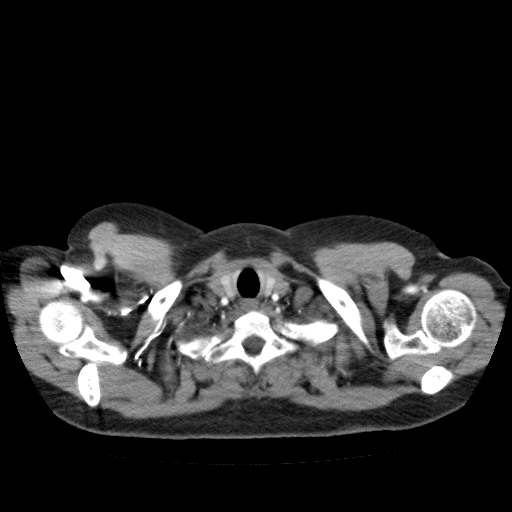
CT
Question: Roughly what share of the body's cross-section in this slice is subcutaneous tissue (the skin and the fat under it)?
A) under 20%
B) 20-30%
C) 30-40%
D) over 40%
Answer: B) 20-30%
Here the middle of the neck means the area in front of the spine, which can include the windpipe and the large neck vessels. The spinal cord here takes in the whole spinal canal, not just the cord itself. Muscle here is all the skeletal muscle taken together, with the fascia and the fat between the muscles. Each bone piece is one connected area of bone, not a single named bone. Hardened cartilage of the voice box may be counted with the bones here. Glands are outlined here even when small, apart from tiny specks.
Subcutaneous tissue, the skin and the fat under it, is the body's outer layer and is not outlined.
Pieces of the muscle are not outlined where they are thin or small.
{"right_arm":[[[66,240],[84,273],[87,281],[85,329],[72,342],[69,343],[41,349],[18,348],[10,327],[8,316],[6,312],[6,306],[4,302],[4,293],[2,287],[2,273],[0,271],[0,249],[27,243],[51,245],[56,246],[61,249],[65,249],[67,247]]],"bones":[{"outer":[[250,310],[261,311],[272,320],[279,318],[298,324],[324,318],[336,322],[338,331],[314,346],[298,341],[299,348],[296,351],[272,358],[255,374],[246,363],[237,358],[212,363],[203,357],[193,359],[176,348],[181,340],[187,341],[196,336],[221,331]],"hole":[[252,335],[255,335],[256,336],[259,337],[264,341],[264,343],[263,344],[262,347],[260,349],[260,350],[257,353],[256,353],[255,354],[250,354],[248,352],[247,352],[246,349],[244,347],[244,346],[243,345],[243,342],[248,337],[249,337]]},[[59,299],[70,302],[81,312],[83,321],[91,327],[98,339],[117,345],[127,352],[125,361],[119,365],[101,363],[97,366],[100,400],[95,407],[84,401],[77,388],[77,377],[86,360],[60,353],[58,346],[47,340],[38,330],[38,316],[41,308]],[[443,289],[461,291],[468,296],[473,303],[477,314],[477,320],[471,335],[457,346],[444,348],[436,353],[424,355],[409,353],[390,359],[386,353],[383,341],[384,321],[389,319],[393,321],[404,334],[412,334],[421,327],[421,311],[425,302],[435,293]],[[314,275],[318,275],[335,283],[340,287],[343,288],[347,292],[359,310],[360,315],[362,318],[362,326],[363,327],[363,330],[369,341],[371,350],[370,350],[357,337],[345,323],[341,316],[337,312],[334,307],[325,297],[323,293],[318,287]],[[176,278],[180,278],[181,279],[182,281],[182,288],[180,290],[179,293],[177,295],[174,301],[172,303],[168,310],[165,313],[165,314],[160,318],[154,321],[152,319],[150,314],[148,312],[148,307],[152,299],[160,290],[161,290]],[[434,365],[439,365],[440,366],[443,366],[449,369],[454,375],[454,377],[447,385],[446,385],[439,391],[433,394],[425,394],[421,391],[421,388],[420,387],[420,381],[421,380],[421,377],[425,372],[425,371],[426,371],[431,366],[433,366]]],"middle_of_the_neck":[[[242,264],[255,264],[259,267],[263,275],[262,294],[265,297],[271,293],[278,278],[287,281],[289,290],[283,299],[278,303],[266,303],[247,311],[234,305],[220,304],[208,289],[208,281],[218,277],[223,291],[232,299],[235,296],[232,283],[234,269]]],"thyroid_glands":[[[233,271],[233,272],[234,273],[234,276],[231,281],[231,283],[232,284],[232,287],[234,290],[234,296],[232,298],[231,298],[230,297],[229,297],[224,291],[223,286],[220,282],[219,277],[220,277],[223,275],[226,275],[227,274],[229,274]],[[262,270],[263,271],[265,271],[268,274],[269,274],[271,276],[272,276],[275,278],[277,278],[277,280],[276,281],[276,283],[275,284],[275,285],[271,290],[270,293],[267,296],[265,296],[263,294],[263,292],[264,291],[264,275],[262,272]]],"muscle":[{"outer":[[102,221],[167,239],[190,265],[246,235],[303,263],[310,248],[333,242],[392,241],[415,256],[414,276],[475,273],[505,311],[480,369],[448,385],[453,372],[431,365],[420,377],[422,393],[384,406],[323,410],[252,397],[191,414],[125,417],[98,406],[98,366],[123,364],[125,348],[98,338],[66,299],[40,308],[37,330],[60,354],[85,360],[76,377],[79,400],[27,369],[5,305],[26,258],[87,259],[86,238]],"holes":[[[242,264],[255,264],[289,284],[281,301],[256,310],[272,320],[298,324],[324,318],[336,322],[338,331],[314,346],[298,341],[296,351],[272,358],[257,374],[237,358],[212,363],[179,352],[179,341],[221,331],[246,312],[220,304],[208,289],[210,279]],[[443,289],[461,291],[468,296],[473,303],[477,314],[477,320],[471,335],[457,346],[444,348],[436,353],[424,355],[409,353],[390,359],[386,353],[383,341],[384,321],[389,319],[393,321],[404,334],[412,334],[421,327],[421,311],[425,302],[435,293]],[[314,275],[318,275],[335,283],[340,287],[343,288],[347,292],[359,310],[360,315],[362,318],[362,326],[363,327],[363,330],[369,341],[371,350],[370,350],[357,337],[345,323],[341,316],[337,312],[334,307],[325,297],[323,293],[318,287]],[[176,278],[180,278],[181,279],[182,281],[182,288],[180,290],[179,293],[177,295],[174,301],[172,303],[168,310],[165,313],[165,314],[160,318],[154,321],[152,319],[150,314],[148,312],[148,307],[152,299],[160,290],[161,290]]]}],"left_arm":[[[442,252],[446,255],[452,257],[462,255],[473,255],[486,261],[497,270],[502,278],[509,286],[507,302],[503,315],[501,327],[499,330],[499,333],[497,336],[493,351],[491,353],[489,360],[487,362],[479,379],[450,362],[434,346],[424,327],[422,283]]],"spinal_cord":[[[252,335],[255,335],[256,336],[259,337],[264,341],[264,343],[263,344],[262,347],[260,349],[260,350],[257,353],[256,353],[255,354],[250,354],[248,352],[247,352],[246,349],[244,347],[244,346],[243,345],[243,342],[248,337],[249,337]]],"torso":[[[118,201],[153,205],[205,230],[235,222],[284,228],[361,213],[429,236],[441,253],[421,283],[423,327],[433,346],[477,383],[456,411],[395,431],[161,439],[97,434],[63,421],[40,393],[18,349],[69,344],[86,329],[88,281],[66,239],[83,214]]]}